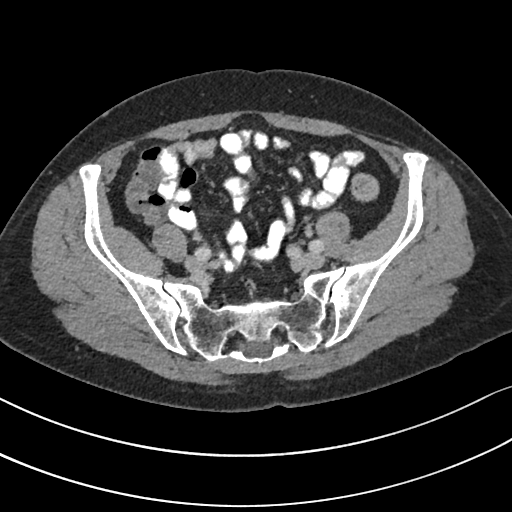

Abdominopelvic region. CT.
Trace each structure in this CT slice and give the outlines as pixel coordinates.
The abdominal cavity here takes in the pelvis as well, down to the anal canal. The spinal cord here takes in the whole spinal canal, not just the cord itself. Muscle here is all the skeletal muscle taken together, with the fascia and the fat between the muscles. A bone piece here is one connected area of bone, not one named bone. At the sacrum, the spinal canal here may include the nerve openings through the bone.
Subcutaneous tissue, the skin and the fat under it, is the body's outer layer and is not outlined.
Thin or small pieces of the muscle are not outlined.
{"spinal_cord":[[[278,325],[284,326],[286,331],[286,341],[276,343],[270,350],[270,354],[268,356],[255,355],[247,356],[239,348],[232,348],[228,352],[223,352],[224,347],[228,340],[228,335],[235,330],[242,335],[247,341],[261,343],[269,342],[271,340],[271,331]]],"abdominal_cavity":[[[243,114],[353,136],[378,152],[399,187],[389,211],[359,237],[344,211],[316,216],[324,251],[341,265],[305,275],[295,300],[217,309],[198,285],[164,273],[163,259],[188,256],[186,234],[160,223],[150,251],[114,225],[106,193],[140,141],[220,130]]],"torso":[[[225,68],[254,71],[271,68],[294,69],[349,82],[401,108],[456,153],[511,213],[511,332],[462,353],[442,365],[365,393],[312,405],[276,405],[241,412],[184,409],[121,395],[64,375],[0,342],[0,232],[41,170],[84,126],[123,99],[174,78]]],"muscle":[[[241,109],[333,121],[420,150],[401,155],[408,176],[405,218],[396,239],[375,259],[343,265],[328,256],[314,229],[317,216],[334,209],[344,212],[350,235],[359,238],[390,211],[400,187],[400,179],[379,152],[347,133],[320,135],[287,129],[270,124],[257,113],[243,113],[220,129],[175,139],[146,138],[121,157],[105,194],[113,225],[133,233],[150,252],[154,252],[149,243],[156,226],[169,223],[185,234],[185,259],[162,259],[163,273],[181,281],[164,281],[131,270],[115,257],[101,228],[98,185],[102,166],[83,163],[75,182],[83,198],[85,244],[125,287],[167,350],[185,357],[189,349],[208,362],[232,358],[260,365],[287,353],[291,344],[306,354],[321,344],[328,349],[347,338],[382,273],[423,225],[428,155],[445,167],[463,196],[475,250],[469,270],[453,281],[456,291],[447,311],[417,333],[399,337],[352,365],[310,379],[283,379],[278,371],[271,371],[242,373],[233,383],[182,382],[93,349],[70,335],[55,316],[52,300],[38,288],[30,267],[37,214],[52,188],[114,142],[176,121]]],"bones":[{"outer":[[407,151],[429,157],[422,225],[379,276],[349,335],[328,348],[305,353],[291,343],[260,364],[173,352],[84,238],[76,180],[83,164],[97,163],[100,228],[125,268],[196,285],[217,310],[254,299],[295,301],[308,274],[375,260],[397,239],[407,213]],"hole":[[278,325],[284,326],[286,331],[286,341],[276,343],[270,350],[270,354],[268,356],[255,355],[247,356],[239,348],[232,348],[228,352],[223,352],[224,347],[228,340],[228,335],[235,330],[242,335],[247,341],[261,343],[269,342],[271,340],[271,331]]}]}